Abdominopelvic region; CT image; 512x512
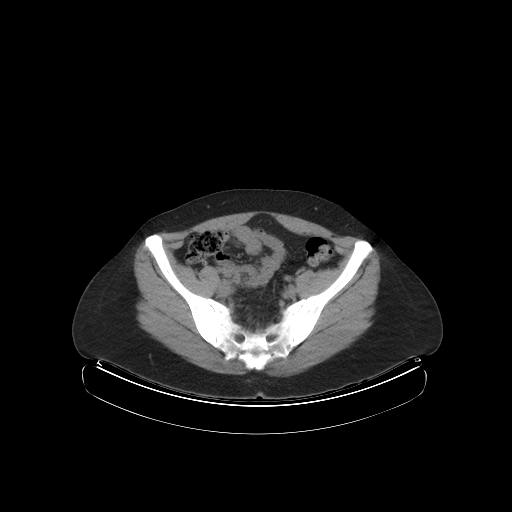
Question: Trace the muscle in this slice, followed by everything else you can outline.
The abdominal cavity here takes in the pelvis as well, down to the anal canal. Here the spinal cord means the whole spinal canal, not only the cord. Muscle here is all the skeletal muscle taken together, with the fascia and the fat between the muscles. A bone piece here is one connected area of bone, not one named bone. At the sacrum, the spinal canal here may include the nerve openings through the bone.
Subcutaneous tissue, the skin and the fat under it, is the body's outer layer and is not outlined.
Answer: {"muscle":[[[144,239],[143,246],[154,259],[161,274],[187,304],[198,334],[206,342],[221,351],[226,361],[237,359],[244,364],[246,369],[256,371],[246,374],[223,374],[207,370],[191,363],[159,341],[139,331],[133,311],[133,302],[136,299],[133,262],[136,249]],[[373,246],[379,254],[380,258],[380,280],[376,302],[376,316],[371,326],[347,348],[310,367],[305,371],[285,377],[271,376],[262,371],[266,365],[274,359],[286,358],[295,347],[309,336],[314,329],[324,307],[353,278],[364,260],[373,251]],[[247,210],[272,210],[294,214],[362,238],[358,238],[354,242],[343,268],[328,286],[317,293],[301,297],[296,290],[295,280],[302,272],[335,268],[343,257],[329,238],[291,231],[267,214],[254,215],[230,229],[192,231],[183,239],[182,244],[173,250],[173,254],[179,263],[197,272],[205,266],[211,266],[217,270],[219,279],[217,287],[210,297],[204,296],[190,290],[179,279],[164,248],[162,236],[157,233],[188,221]]],"torso":[[[232,188],[300,190],[349,210],[390,246],[435,298],[443,322],[438,349],[419,361],[411,358],[377,377],[336,391],[278,400],[259,396],[228,400],[198,397],[162,387],[107,362],[81,356],[72,341],[71,323],[79,298],[93,275],[151,217],[194,198]]],"bones":[{"outer":[[154,233],[161,236],[178,279],[190,291],[229,307],[232,319],[251,330],[278,322],[288,305],[328,287],[358,239],[368,241],[372,251],[326,303],[308,336],[286,357],[276,357],[257,370],[237,358],[226,360],[199,334],[188,304],[144,246],[145,238]],"holes":[[[237,333],[240,333],[241,334],[242,334],[244,336],[244,337],[245,338],[245,339],[244,340],[244,341],[243,341],[242,342],[238,342],[237,341],[236,341],[235,340],[235,339],[234,338],[234,336],[235,335],[235,334],[236,334]],[[270,334],[272,334],[273,335],[274,335],[274,336],[275,337],[275,338],[274,339],[274,340],[273,341],[272,341],[271,342],[268,342],[267,341],[266,341],[266,340],[265,339],[265,338],[266,337],[266,336],[267,336],[268,335],[269,335]]]}],"spinal_cord":[[[237,333],[240,333],[241,334],[242,334],[244,336],[244,337],[245,338],[245,339],[244,340],[244,341],[243,341],[242,342],[238,342],[237,341],[236,341],[235,340],[235,339],[234,338],[234,336],[235,335],[235,334],[236,334]],[[270,334],[272,334],[273,335],[274,335],[274,336],[275,337],[275,338],[274,339],[274,340],[273,341],[272,341],[271,342],[268,342],[267,341],[266,341],[266,340],[265,339],[265,338],[266,337],[266,336],[267,336],[268,335],[269,335]]],"abdominal_cavity":[[[257,215],[270,216],[297,234],[327,238],[342,257],[335,267],[302,271],[294,280],[295,290],[301,298],[284,307],[278,321],[251,329],[233,319],[229,306],[211,297],[220,282],[218,270],[205,265],[197,271],[179,262],[174,250],[192,232],[230,230]]]}